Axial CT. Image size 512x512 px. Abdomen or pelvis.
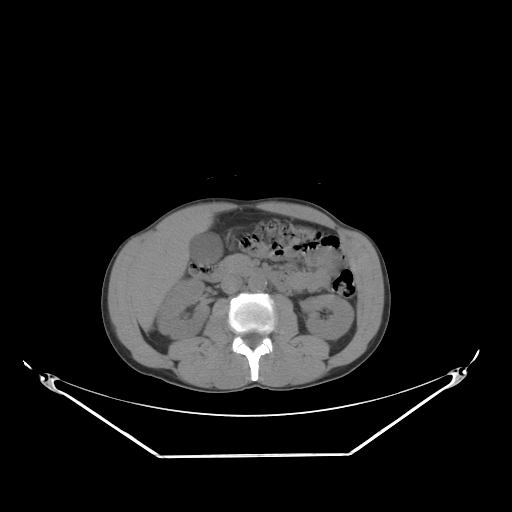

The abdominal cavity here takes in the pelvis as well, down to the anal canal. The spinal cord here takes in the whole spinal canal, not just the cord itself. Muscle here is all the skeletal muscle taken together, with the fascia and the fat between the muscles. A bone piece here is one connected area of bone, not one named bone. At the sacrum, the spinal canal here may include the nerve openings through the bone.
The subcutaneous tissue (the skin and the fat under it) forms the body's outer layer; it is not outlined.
Outlined structures:
spinal cord: [[251,331],[255,331],[256,332],[258,332],[263,335],[263,337],[262,338],[262,339],[261,340],[260,343],[259,344],[258,344],[255,347],[250,347],[247,344],[246,344],[245,343],[245,342],[242,337],[242,335],[244,333],[247,333],[248,332],[250,332]]
torso: [[271,195],[293,196],[314,202],[366,232],[378,245],[388,272],[391,308],[386,331],[374,352],[339,379],[290,391],[253,387],[223,394],[197,392],[141,374],[127,365],[107,338],[100,310],[104,273],[118,245],[166,211],[192,199],[205,196],[256,198]]
muscle: [[208,202],[300,204],[318,210],[338,225],[366,237],[379,259],[384,303],[379,328],[365,351],[353,361],[305,383],[270,386],[257,381],[260,358],[274,349],[269,335],[277,319],[273,294],[284,295],[292,302],[298,333],[321,338],[329,345],[332,354],[346,346],[356,331],[358,292],[352,260],[335,229],[307,219],[243,207],[195,215],[166,224],[140,246],[127,280],[132,311],[140,332],[151,346],[162,353],[172,342],[201,336],[215,302],[220,298],[229,299],[227,323],[234,333],[230,348],[246,358],[251,381],[235,388],[201,387],[179,379],[169,369],[148,367],[136,361],[118,339],[109,315],[107,294],[113,264],[121,249],[135,236],[153,229],[178,210]]
bones: [[240,292],[268,293],[273,298],[275,303],[275,325],[273,330],[268,335],[271,339],[273,349],[270,352],[263,354],[259,358],[258,378],[256,381],[252,381],[250,378],[250,367],[247,358],[241,353],[234,352],[231,348],[235,333],[228,323],[229,301]]; inner edge: [[251,331],[255,331],[256,332],[258,332],[263,335],[263,337],[262,338],[262,339],[261,340],[260,343],[259,344],[258,344],[255,347],[250,347],[247,344],[246,344],[245,343],[245,342],[242,337],[242,335],[244,333],[247,333],[248,332],[250,332]]
abdominal cavity: [[243,208],[311,221],[340,236],[354,269],[357,292],[355,331],[341,349],[331,353],[321,337],[299,333],[293,302],[284,294],[264,291],[240,291],[230,298],[218,298],[201,335],[172,341],[165,352],[145,339],[133,311],[128,280],[141,246],[174,222]]